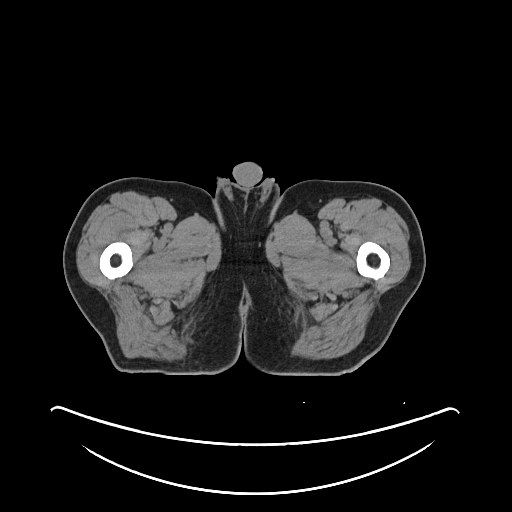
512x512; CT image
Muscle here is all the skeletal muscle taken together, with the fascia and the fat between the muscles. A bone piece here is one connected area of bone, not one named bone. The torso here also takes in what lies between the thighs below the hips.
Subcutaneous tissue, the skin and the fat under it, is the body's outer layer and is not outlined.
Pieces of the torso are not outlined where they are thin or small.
{"bones":[[[366,241],[372,241],[379,244],[388,253],[389,255],[389,258],[390,259],[390,264],[387,271],[382,277],[376,280],[370,277],[367,277],[366,276],[361,275],[357,270],[357,266],[356,265],[356,256],[357,255],[357,251],[358,250],[359,246],[362,243]],[[115,241],[123,241],[129,245],[131,249],[131,252],[132,253],[132,260],[133,261],[133,265],[131,269],[125,275],[120,277],[117,277],[114,279],[109,279],[106,276],[105,276],[100,270],[100,268],[99,267],[99,258],[104,248],[110,243]]],"left_leg":[[[308,179],[369,181],[385,185],[399,193],[410,205],[418,220],[425,248],[425,270],[419,287],[403,309],[383,346],[358,368],[351,372],[336,376],[272,375],[254,369],[246,360],[244,353],[245,341],[241,292],[254,254],[263,240],[282,193],[289,186]]],"muscle":[{"outer":[[128,189],[164,197],[180,212],[195,211],[204,215],[216,225],[221,236],[222,253],[219,264],[202,291],[186,328],[188,354],[184,359],[162,361],[126,357],[119,346],[114,315],[108,303],[82,280],[77,269],[76,249],[82,228],[90,214],[112,193]],"hole":[[115,241],[123,241],[129,245],[131,249],[131,252],[132,253],[132,260],[133,261],[133,265],[131,269],[125,275],[120,277],[117,277],[114,279],[109,279],[106,276],[105,276],[100,270],[100,268],[99,267],[99,258],[104,248],[110,243]]},{"outer":[[359,194],[381,199],[403,218],[409,230],[410,268],[400,283],[384,293],[366,326],[362,341],[353,350],[330,359],[312,360],[290,356],[290,347],[299,331],[300,318],[276,270],[266,257],[264,241],[272,225],[294,211],[307,217],[311,216],[330,199]],"hole":[[366,241],[372,241],[379,244],[388,253],[389,255],[389,258],[390,259],[390,264],[387,271],[382,277],[376,280],[370,277],[367,277],[366,276],[361,275],[357,270],[357,266],[356,265],[356,256],[357,255],[357,251],[358,250],[359,246],[362,243]]}],"right_leg":[[[132,176],[182,181],[205,189],[212,196],[219,216],[233,241],[244,280],[240,292],[244,352],[242,348],[234,365],[222,372],[213,375],[164,375],[158,372],[119,371],[112,364],[101,338],[82,314],[68,289],[62,253],[68,230],[79,208],[99,186]]],"torso":[[[246,160],[253,160],[257,162],[262,169],[262,176],[264,178],[273,177],[278,183],[280,190],[283,191],[269,220],[262,240],[253,254],[245,280],[234,241],[220,216],[212,195],[215,193],[216,177],[221,175],[232,181],[234,179],[232,175],[234,166]]]}